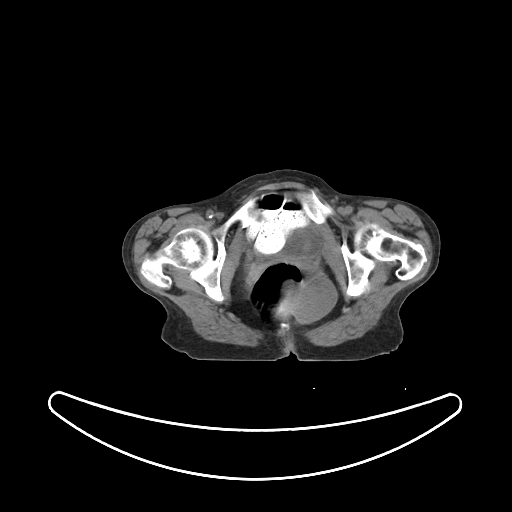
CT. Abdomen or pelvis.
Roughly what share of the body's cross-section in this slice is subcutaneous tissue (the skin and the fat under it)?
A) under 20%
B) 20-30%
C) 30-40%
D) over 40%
B) 20-30%
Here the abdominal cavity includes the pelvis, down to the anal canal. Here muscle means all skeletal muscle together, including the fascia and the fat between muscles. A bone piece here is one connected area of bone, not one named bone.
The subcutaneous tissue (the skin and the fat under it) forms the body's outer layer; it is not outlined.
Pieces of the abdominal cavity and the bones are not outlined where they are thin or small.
{"bones":[[[256,196],[255,220],[245,226],[237,220],[225,236],[226,254],[220,271],[222,302],[208,297],[203,286],[192,279],[187,270],[171,264],[162,268],[171,279],[168,288],[149,282],[141,274],[143,260],[166,246],[177,231],[192,226],[210,234],[249,198]],[[367,222],[376,222],[394,235],[420,243],[427,260],[416,275],[405,280],[399,279],[395,274],[400,264],[398,260],[377,260],[368,276],[369,291],[358,296],[349,296],[345,293],[348,276],[341,252],[342,240],[346,237],[347,244],[352,250],[354,233]],[[310,188],[312,188],[314,190],[319,200],[322,203],[329,205],[333,211],[333,213],[329,215],[326,218],[325,222],[323,223],[318,223],[316,221],[313,220],[309,216],[308,213],[303,206],[302,201],[296,195],[296,193],[298,189],[302,191],[307,191]]],"abdominal_cavity":[[[281,188],[297,189],[295,195],[308,216],[319,224],[323,257],[342,294],[343,302],[338,316],[311,330],[296,330],[283,322],[271,329],[252,326],[230,305],[233,280],[248,245],[244,232],[247,226],[256,220],[258,214],[258,197],[252,196],[263,190]]],"muscle":[{"outer":[[277,181],[295,181],[317,187],[335,209],[364,200],[385,200],[403,204],[420,217],[431,240],[433,253],[431,264],[422,278],[392,298],[377,325],[361,337],[333,346],[317,346],[300,335],[284,333],[265,334],[256,346],[206,340],[193,330],[190,320],[177,305],[167,297],[150,290],[139,280],[134,270],[132,247],[137,231],[147,219],[172,208],[192,208],[195,211],[202,209],[214,214],[230,213],[242,195],[256,186]],"holes":[[[281,188],[312,188],[333,211],[318,226],[323,257],[342,294],[335,319],[305,331],[269,329],[232,309],[233,280],[248,245],[240,220],[224,240],[222,302],[171,264],[162,268],[168,288],[141,274],[143,260],[177,231],[192,226],[210,234],[256,193]],[[367,222],[376,222],[394,235],[420,243],[427,260],[416,275],[405,280],[399,279],[395,274],[400,264],[398,260],[377,260],[368,276],[369,291],[358,296],[349,296],[345,293],[348,276],[341,252],[342,240],[346,237],[347,244],[352,250],[354,233]]]}],"torso":[[[283,168],[315,174],[343,193],[411,202],[436,223],[439,262],[432,276],[400,308],[404,335],[396,350],[356,361],[299,361],[293,353],[275,361],[200,361],[173,350],[161,339],[164,308],[132,282],[122,262],[128,229],[156,209],[205,199],[250,175]]]}